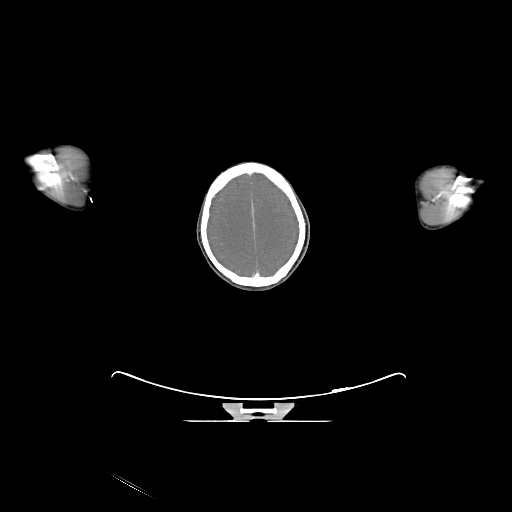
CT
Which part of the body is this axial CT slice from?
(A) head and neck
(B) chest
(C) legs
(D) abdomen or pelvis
(A) head and neck
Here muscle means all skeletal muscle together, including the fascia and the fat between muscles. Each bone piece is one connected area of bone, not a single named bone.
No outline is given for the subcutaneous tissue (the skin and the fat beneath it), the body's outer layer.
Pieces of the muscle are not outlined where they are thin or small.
The head is outlined by 244,161 261,162 279,171 289,181 301,198 309,217 310,224 309,244 303,260 293,275 285,283 269,291 262,292 242,291 231,287 222,281 207,265 196,241 195,234 196,219 200,204 208,187 220,172 229,166. The brain is outlined by 255,173 263,175 285,195 297,222 297,237 290,255 273,273 268,275 262,275 258,271 256,271 252,275 242,275 230,269 219,261 216,257 212,250 208,237 210,209 212,201 216,194 234,178 244,174 251,175. The muscle appears in 4 outlined pieces: piece 1: 442,167 451,168 454,169 456,172 463,174 458,174 454,178 450,186 450,189 446,194 446,199 447,202 453,206 454,208 466,208 457,217 447,223 439,225 429,225 425,223 420,216 419,182 422,176 426,172; piece 2: 60,147 76,148 80,150 87,158 88,163 87,165 87,194 83,203 79,206 64,204 57,201 48,194 38,181 46,187 55,187 62,182 62,178 58,172 60,167 56,157 51,152 42,152 48,150 53,150; piece 3: 472,179 473,179 476,182 477,182 479,184 479,187 478,188 478,193 477,194 477,195 473,199 473,200 472,201 472,197 471,196 476,192 476,189 475,188 475,187 473,185 472,185 471,184 471,182 472,181; piece 4: 30,167 31,168 31,169 32,170 32,171 34,173 35,173 36,174 36,178 37,179 37,180 35,178 35,176 32,173 32,172 30,170. The right arm is outlined by 62,143 76,144 85,148 91,154 94,161 94,181 93,182 93,187 90,194 89,201 87,203 86,207 81,211 71,211 65,209 42,195 32,184 20,163 20,158 27,153 33,152 42,147 52,146. The bones appear in 3 outlined pieces: piece 1: 244,161 261,162 279,171 291,184 297,196 297,199 306,223 306,236 304,240 304,244 296,261 283,278 278,282 267,286 240,285 226,277 215,267 206,254 200,237 200,219 202,204 208,187 220,172 229,166 with a hole at 255,173 263,175 285,195 297,222 297,237 290,255 273,273 268,275 262,275 258,271 256,271 252,275 242,275 230,269 219,261 216,257 212,250 208,237 210,209 212,201 216,194 234,178 244,174 251,175; piece 2: 36,153 51,153 53,154 55,157 55,159 59,167 58,168 57,172 61,178 61,182 60,183 58,183 55,186 46,186 42,182 38,180 37,178 37,174 33,171 32,168 26,162 26,158 28,156 35,154; piece 3: 458,175 463,175 467,177 470,177 471,178 470,184 473,186 475,189 475,192 470,196 471,197 471,201 466,207 454,207 453,205 450,204 448,202 448,200 447,199 447,194 448,192 450,191 451,186 455,178. The left arm is outlined by 441,163 455,165 476,176 485,178 491,183 492,186 484,192 479,201 477,202 473,208 461,218 444,228 438,230 428,230 421,226 416,215 413,182 416,175 421,170 430,165 440,164.